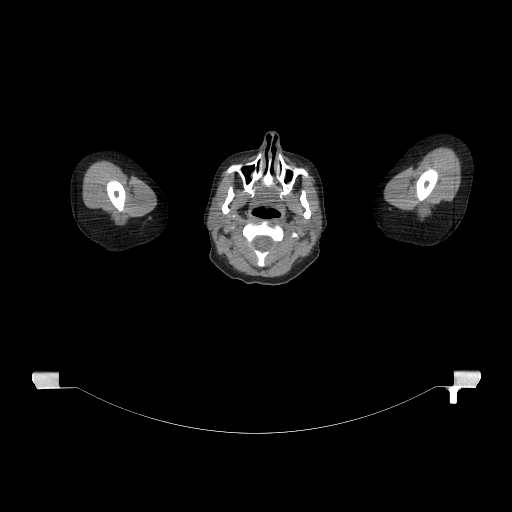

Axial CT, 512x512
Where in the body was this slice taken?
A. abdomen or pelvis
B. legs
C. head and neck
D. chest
Answer: C. head and neck
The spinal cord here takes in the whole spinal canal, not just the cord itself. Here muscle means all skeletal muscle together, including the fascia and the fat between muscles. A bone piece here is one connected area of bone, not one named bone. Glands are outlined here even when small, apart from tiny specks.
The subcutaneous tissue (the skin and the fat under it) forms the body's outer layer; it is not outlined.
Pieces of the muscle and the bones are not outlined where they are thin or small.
{"left_arm":[[[437,132],[446,132],[458,136],[467,144],[471,151],[474,163],[474,172],[473,173],[473,181],[465,214],[458,227],[453,233],[445,241],[437,245],[419,246],[388,238],[380,231],[373,216],[372,197],[374,191],[380,181],[410,146],[419,139],[429,134]]],"spinal_cord":[[[256,236],[268,236],[269,237],[270,237],[271,238],[271,239],[273,241],[273,245],[269,249],[268,249],[267,250],[263,250],[262,251],[261,250],[259,250],[258,249],[257,249],[255,247],[254,247],[254,246],[252,244],[252,241],[253,240],[253,239]]],"right_arm":[[[100,149],[115,150],[121,152],[133,159],[155,181],[164,194],[168,204],[167,223],[163,231],[152,241],[143,245],[140,245],[123,251],[113,252],[108,251],[98,244],[88,240],[78,228],[73,218],[70,205],[69,187],[71,174],[77,162],[84,155]]],"bones":[{"outer":[[269,149],[273,155],[280,152],[288,164],[304,168],[309,175],[309,177],[298,175],[290,193],[281,199],[277,188],[256,183],[254,195],[251,197],[247,192],[243,192],[242,181],[237,172],[224,173],[231,164],[251,161],[259,152],[262,151],[266,155]],"hole":[[250,166],[251,166],[252,167],[252,169],[251,170],[251,171],[250,172],[250,173],[249,174],[249,180],[248,181],[247,181],[247,178],[246,177],[246,176],[245,175],[245,174],[244,173],[244,172],[243,171],[243,168],[244,168],[245,167],[249,167]]},{"outer":[[262,219],[267,219],[268,220],[268,224],[271,226],[279,225],[284,231],[284,236],[281,241],[265,257],[264,265],[263,266],[259,266],[257,264],[256,255],[248,246],[246,240],[243,236],[242,229],[245,224],[247,223],[256,223],[258,224],[261,222]],"hole":[[256,236],[268,236],[269,237],[270,237],[271,238],[271,239],[273,241],[273,245],[269,249],[268,249],[267,250],[263,250],[262,251],[261,250],[259,250],[258,249],[257,249],[255,247],[254,247],[254,246],[252,244],[252,241],[253,240],[253,239]]},[[429,168],[433,168],[437,171],[438,173],[438,178],[437,179],[437,181],[434,187],[432,189],[430,193],[423,200],[421,201],[419,201],[417,199],[417,197],[416,196],[416,182],[418,178],[420,176],[420,175],[425,170]],[[113,179],[115,179],[119,182],[120,182],[123,186],[124,188],[124,190],[125,191],[125,201],[124,202],[124,209],[123,211],[119,211],[113,205],[113,204],[111,202],[108,196],[108,194],[106,190],[106,184],[107,182]],[[301,189],[304,189],[305,190],[305,193],[306,194],[306,199],[309,204],[309,207],[311,210],[311,215],[308,219],[306,219],[303,216],[303,213],[304,212],[304,208],[302,206],[300,202],[300,200],[299,199],[300,197],[300,195],[301,194]],[[229,186],[232,186],[232,187],[233,188],[233,192],[234,193],[234,196],[233,197],[232,200],[228,204],[228,207],[229,208],[229,212],[226,214],[224,214],[221,210],[221,206],[226,198],[226,196],[227,195],[227,191],[228,190],[228,188],[229,187]]],"parotid_glands":[[[214,197],[215,197],[217,200],[217,203],[218,204],[218,206],[220,210],[220,213],[221,214],[221,221],[219,223],[219,224],[213,230],[209,230],[207,219],[208,218],[208,214],[210,210],[210,206],[211,205],[212,200]],[[316,208],[320,208],[320,211],[321,212],[321,215],[322,216],[322,223],[321,224],[321,229],[320,230],[320,233],[318,236],[316,235],[316,233],[314,231],[314,230],[310,227],[310,223],[311,222],[311,219],[312,218],[312,212],[314,210],[314,209]]],"head_and_neck":[{"outer":[[268,130],[278,132],[280,144],[285,150],[309,159],[317,168],[323,186],[327,224],[320,236],[317,258],[298,276],[279,285],[247,284],[230,278],[210,261],[210,240],[208,230],[203,221],[203,214],[213,177],[220,163],[233,153],[258,147],[265,132]],"holes":[[[256,208],[264,208],[265,209],[273,209],[274,210],[277,211],[279,213],[279,215],[278,216],[274,216],[273,217],[269,217],[268,218],[264,218],[263,217],[261,217],[260,216],[258,216],[257,215],[254,215],[252,213],[252,211],[254,209],[255,209]],[[268,136],[270,137],[270,144],[271,145],[272,145],[273,143],[275,144],[275,148],[276,149],[276,151],[274,154],[272,153],[272,151],[270,148],[268,149],[268,151],[267,153],[266,154],[265,153],[265,149],[267,145],[267,137]],[[250,166],[251,166],[252,167],[252,169],[251,170],[251,171],[250,172],[250,173],[249,174],[249,180],[248,181],[247,181],[247,178],[246,177],[246,176],[245,175],[245,174],[244,173],[244,172],[243,171],[243,168],[244,168],[245,167],[249,167]]]}],"muscle":[{"outer":[[283,155],[307,166],[315,179],[320,207],[312,211],[304,188],[298,199],[302,216],[306,220],[311,216],[309,227],[316,240],[311,252],[288,273],[277,277],[246,275],[216,252],[212,231],[222,221],[221,211],[224,215],[230,212],[235,196],[229,185],[220,209],[214,196],[220,176],[223,171],[225,175],[235,172],[242,192],[251,198],[256,184],[277,189],[281,200],[291,193],[298,176],[310,177],[304,167],[288,163]],"hole":[[256,208],[273,209],[277,211],[279,215],[269,217],[267,219],[268,224],[271,226],[279,225],[284,231],[284,236],[281,241],[265,257],[263,266],[259,266],[257,264],[257,257],[248,246],[242,233],[242,229],[245,224],[258,224],[264,218],[252,213]]},{"outer":[[440,146],[448,146],[454,149],[461,161],[461,170],[462,171],[461,183],[453,200],[443,204],[436,210],[429,220],[425,221],[415,220],[409,217],[397,214],[392,211],[388,207],[383,198],[383,191],[386,184],[396,174],[417,161],[428,151]],"hole":[[429,168],[433,168],[437,171],[438,173],[438,178],[437,179],[437,181],[434,187],[432,189],[430,193],[423,200],[421,201],[419,201],[417,199],[417,197],[416,196],[416,182],[418,178],[420,176],[420,175],[425,170]]},{"outer":[[97,160],[108,160],[119,166],[127,174],[129,175],[133,174],[144,181],[154,191],[156,195],[157,205],[155,208],[147,215],[143,216],[127,225],[120,227],[114,227],[108,217],[99,210],[87,208],[83,203],[81,195],[82,179],[88,166],[91,163]],"hole":[[113,179],[115,179],[119,182],[120,182],[123,186],[124,188],[124,190],[125,191],[125,201],[124,202],[124,209],[123,211],[119,211],[113,205],[113,204],[111,202],[108,196],[108,194],[106,190],[106,184],[107,182]]},[[252,155],[255,155],[255,156],[254,157],[254,158],[251,160],[248,160],[245,162],[237,162],[236,163],[231,163],[231,162],[232,161],[233,161],[235,159],[236,159],[237,158],[241,158],[242,157],[244,157],[245,156],[251,156]]]}